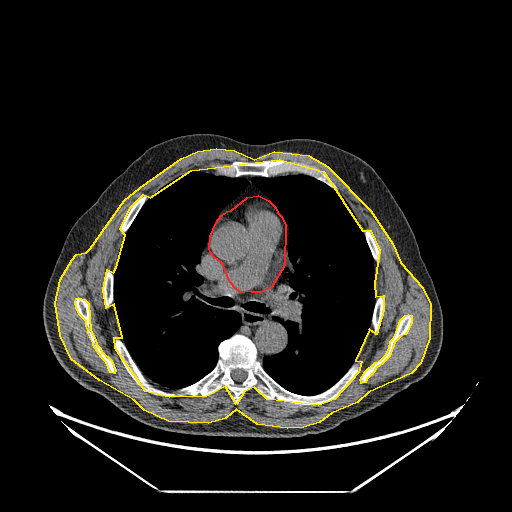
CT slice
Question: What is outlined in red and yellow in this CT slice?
Answer: red: pericardium; yellow: muscle.
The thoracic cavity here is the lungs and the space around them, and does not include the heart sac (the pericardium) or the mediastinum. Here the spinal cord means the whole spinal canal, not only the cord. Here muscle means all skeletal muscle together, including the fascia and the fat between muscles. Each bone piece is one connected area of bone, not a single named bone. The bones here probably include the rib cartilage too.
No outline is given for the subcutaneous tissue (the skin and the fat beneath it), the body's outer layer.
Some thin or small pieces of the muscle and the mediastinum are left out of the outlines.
{"pericardium":[[[258,195],[268,200],[275,207],[277,212],[281,216],[285,225],[284,265],[271,287],[260,292],[252,292],[251,291],[241,292],[236,289],[230,282],[222,263],[214,257],[210,252],[209,248],[210,236],[216,222],[221,215],[227,211],[231,210],[247,197]]],"muscle":[{"outer":[[216,148],[234,150],[254,159],[274,151],[308,155],[327,166],[370,210],[392,243],[400,262],[422,287],[430,304],[429,338],[420,363],[411,373],[368,392],[357,402],[331,413],[319,422],[303,427],[287,428],[257,424],[236,409],[225,418],[208,423],[168,421],[144,410],[134,400],[99,380],[71,359],[60,335],[55,303],[60,279],[72,259],[76,254],[86,252],[90,248],[124,200],[140,187],[181,158],[197,151]],"holes":[[[279,159],[323,171],[362,230],[370,230],[379,250],[374,283],[375,296],[383,295],[383,310],[376,334],[369,329],[355,360],[361,361],[358,372],[334,399],[318,405],[267,399],[254,387],[244,391],[236,404],[225,386],[206,396],[169,397],[145,391],[115,348],[114,337],[122,337],[114,304],[106,308],[103,289],[107,269],[113,272],[116,267],[125,235],[120,229],[130,207],[143,194],[150,197],[191,170]],[[408,314],[411,315],[411,323],[405,334],[400,336],[394,342],[389,356],[381,364],[376,367],[373,372],[366,379],[365,382],[361,383],[360,379],[365,371],[375,362],[380,360],[386,354],[389,347],[390,341],[393,338],[396,332],[400,320],[405,315]],[[78,297],[84,299],[88,303],[90,330],[95,339],[96,344],[100,348],[101,351],[111,360],[115,370],[114,373],[110,372],[106,362],[101,357],[93,345],[93,343],[88,333],[88,330],[86,326],[86,321],[79,314],[76,307],[75,302],[76,298]]]}],"mediastinum":[[[282,216],[288,227],[286,251],[293,271],[285,275],[286,318],[273,318],[283,325],[288,338],[284,349],[260,361],[254,342],[236,332],[240,315],[214,305],[202,287],[204,277],[197,266],[209,236],[209,252],[236,290],[260,293],[271,288],[285,265]],[[247,175],[253,176],[251,178],[251,182],[268,199],[258,194],[257,195],[247,196],[243,200],[241,200],[236,204],[231,209],[227,210],[221,214],[220,216],[215,222],[214,225],[214,223],[217,217],[222,210],[248,185],[248,181],[245,178],[242,177],[242,176],[246,176]]],"spinal_cord":[[[235,369],[242,369],[243,370],[244,370],[245,371],[245,372],[246,373],[246,377],[242,381],[241,381],[240,382],[237,382],[236,381],[235,381],[232,378],[232,377],[231,376],[231,372],[233,370],[234,370]]],"thoracic_cavity":[[[191,170],[213,170],[217,175],[247,181],[216,217],[196,266],[203,277],[201,287],[213,305],[236,312],[241,322],[232,335],[218,344],[218,358],[209,372],[191,384],[171,389],[145,376],[122,339],[113,303],[114,271],[124,236],[145,202],[162,186]],[[287,174],[310,176],[340,194],[357,219],[374,262],[375,301],[370,328],[360,351],[334,384],[312,395],[288,390],[262,365],[265,356],[280,353],[288,344],[288,331],[274,318],[287,318],[290,292],[286,275],[294,268],[287,251],[287,222],[252,178]]],"torso":[[[194,133],[219,134],[249,144],[293,138],[319,140],[360,157],[376,171],[414,233],[442,310],[441,349],[423,378],[383,404],[321,433],[235,437],[177,433],[146,425],[85,388],[65,371],[49,345],[42,308],[48,280],[68,232],[103,190],[146,149]]],"bones":[{"outer":[[235,333],[253,342],[257,359],[278,384],[299,395],[322,393],[356,361],[361,364],[342,392],[318,405],[267,399],[254,387],[236,404],[225,386],[206,396],[155,395],[131,377],[115,348],[115,336],[154,386],[173,391],[209,373],[218,361],[219,344]],"hole":[[235,369],[242,369],[243,370],[244,370],[245,371],[245,372],[246,373],[246,377],[242,381],[241,381],[240,382],[237,382],[236,381],[235,381],[232,378],[232,377],[231,376],[231,372],[233,370],[234,370]]},[[279,159],[286,161],[294,160],[316,166],[323,171],[336,185],[337,190],[324,182],[303,173],[287,173],[275,176],[249,174],[241,176],[228,176],[217,174],[213,169],[209,167],[209,165],[216,163],[222,164],[231,163],[234,161],[261,162],[265,160]],[[408,314],[411,315],[411,323],[405,334],[400,336],[394,342],[389,356],[381,364],[376,367],[373,372],[366,379],[365,382],[361,383],[360,379],[365,371],[375,362],[380,360],[386,354],[389,347],[390,341],[393,338],[396,332],[400,320],[405,315]],[[78,297],[84,299],[88,303],[90,330],[95,339],[96,344],[100,348],[101,351],[111,360],[115,370],[114,373],[110,372],[106,362],[101,357],[93,345],[93,343],[88,333],[88,330],[86,326],[86,321],[79,314],[76,307],[75,302],[76,298]],[[143,194],[147,194],[148,195],[148,198],[142,205],[141,208],[139,210],[138,213],[136,215],[135,218],[133,220],[129,228],[125,233],[122,234],[120,232],[120,229],[121,228],[121,225],[122,224],[123,220],[128,213],[128,211],[133,203]],[[108,268],[109,269],[110,269],[113,272],[113,302],[112,303],[112,304],[108,308],[106,308],[106,306],[105,305],[105,300],[104,299],[104,290],[103,289],[103,283],[104,282],[104,277],[105,276],[105,274],[106,273],[106,271],[107,270],[107,269]],[[380,294],[382,294],[383,295],[383,310],[382,311],[381,320],[380,321],[380,323],[379,324],[377,332],[376,334],[374,335],[373,334],[372,328],[371,327],[371,321],[372,320],[372,316],[373,315],[374,306],[375,305],[375,302],[376,301],[376,297]],[[365,228],[368,228],[370,230],[371,233],[374,237],[374,239],[376,242],[377,247],[379,250],[379,262],[378,263],[375,262],[372,257],[372,255],[371,254],[370,249],[368,246],[368,244],[367,243],[367,241],[366,240],[366,238],[364,234],[364,229]]]}